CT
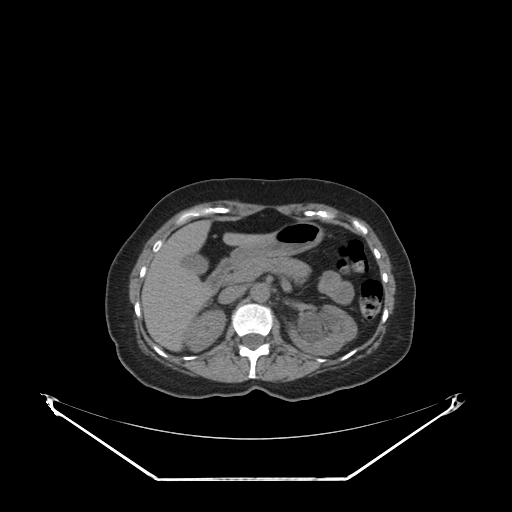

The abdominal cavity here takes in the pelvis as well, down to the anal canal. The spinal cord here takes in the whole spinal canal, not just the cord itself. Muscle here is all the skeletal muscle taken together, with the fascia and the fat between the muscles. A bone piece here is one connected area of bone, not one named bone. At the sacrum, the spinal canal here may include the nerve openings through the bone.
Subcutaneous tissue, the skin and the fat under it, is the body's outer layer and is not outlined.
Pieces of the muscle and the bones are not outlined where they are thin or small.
Outlines (x, y in pixels):
bones 1: 248,303 257,303 269,307 274,316 272,326 266,338 270,345 270,351 266,355 259,356 256,360 255,378 248,377 250,362 246,356 242,356 238,352 238,344 240,339 231,321 232,314 236,308 240,305 with a hole at 252,333 253,334 259,334 260,335 261,335 264,338 264,342 262,344 261,344 259,346 258,346 255,349 251,349 250,348 249,348 248,347 247,347 242,343 242,338 245,335 246,335 247,334 251,334
bones 2: 216,206 228,208 229,211 227,213 212,213 211,214 203,215 202,216 196,216 195,217 189,218 186,221 179,225 176,223 176,220 178,217 186,211 192,209 206,208 207,207 215,207
bones 3: 307,210 312,210 313,211 317,211 318,210 325,210 326,211 334,213 335,214 335,217 334,218 330,218 326,216 321,216 320,215 313,215 312,216 310,216 309,215 304,215 303,214 303,212
bones 4: 353,219 355,219 356,220 357,220 360,223 361,223 367,229 367,233 366,234 363,234 359,230 358,230 355,227 354,227 354,226 352,224 352,223 351,222 352,221 352,220
bones 5: 154,344 155,345 156,345 160,349 161,349 164,352 165,352 168,355 167,356 167,357 166,358 165,357 163,357 161,355 160,355 158,353 157,353 154,350 154,349 153,348 153,345
bones 6: 355,348 356,348 357,349 356,350 356,352 355,353 354,353 351,356 350,356 348,358 347,358 344,360 340,360 340,357 341,357 343,355 344,355 345,354 346,354 348,352 349,352 351,350 352,350
bones 7: 157,240 161,240 162,241 162,244 161,245 161,246 160,247 160,248 157,251 156,251 155,252 154,252 152,250 152,247 153,246 153,245 154,244 154,243
abdominal cavity: 264,209 288,216 326,217 353,227 363,236 384,285 384,307 372,335 341,356 321,357 286,342 269,306 248,302 235,308 224,339 207,351 175,355 153,343 142,321 140,288 150,261 170,233 192,218 233,221
muscle: 215,200 274,205 322,203 364,220 389,257 396,285 393,313 378,347 346,366 312,376 287,382 256,379 257,360 271,351 267,338 274,318 279,322 282,339 298,350 319,356 315,358 319,363 325,362 326,358 339,357 344,361 355,354 357,347 366,342 379,323 383,324 389,316 384,306 384,284 388,275 385,271 380,272 377,261 381,257 380,251 376,247 372,249 360,233 366,235 368,229 355,218 350,222 352,226 333,219 336,214 325,209 307,209 302,214 309,216 298,216 264,208 238,219 222,220 196,217 227,214 228,207 216,205 184,211 175,220 177,226 165,239 153,243 153,256 138,273 142,279 139,300 134,302 133,311 141,318 153,350 166,359 168,354 181,356 185,361 196,359 197,355 220,344 231,324 239,339 237,352 249,362 249,379 220,382 191,376 143,353 136,341 129,300 130,273 147,240 170,217 196,204
torso: 223,177 325,179 361,191 382,207 406,250 416,285 413,338 403,359 366,383 297,401 287,401 258,389 237,396 199,399 176,397 143,385 121,364 109,336 104,314 106,276 115,254 151,207 164,195 188,183
spinal cord: 252,333 253,334 259,334 260,335 261,335 264,338 264,342 262,344 261,344 259,346 258,346 255,349 251,349 250,348 249,348 248,347 247,347 242,343 242,338 245,335 246,335 247,334 251,334